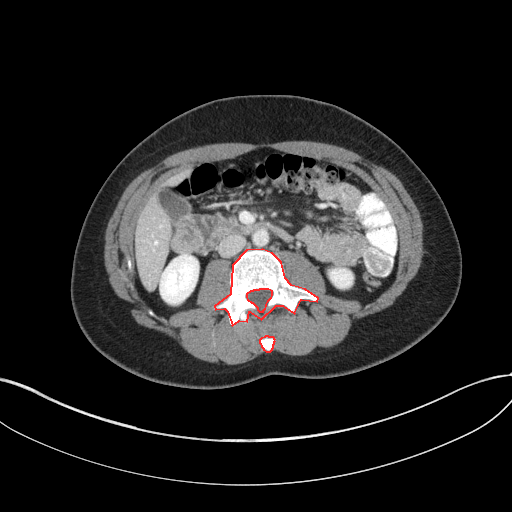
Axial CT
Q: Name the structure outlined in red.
A: red: bones.
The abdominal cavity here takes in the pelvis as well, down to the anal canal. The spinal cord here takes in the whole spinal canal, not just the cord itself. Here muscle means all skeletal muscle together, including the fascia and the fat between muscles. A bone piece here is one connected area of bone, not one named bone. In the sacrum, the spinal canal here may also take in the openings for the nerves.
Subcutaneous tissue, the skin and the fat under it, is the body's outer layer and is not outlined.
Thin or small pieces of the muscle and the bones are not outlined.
{"bones":[{"outer":[[232,325],[239,320],[247,321],[249,311],[261,319],[276,305],[282,305],[294,313],[301,299],[317,301],[318,298],[305,289],[291,285],[285,278],[281,262],[272,253],[262,249],[246,250],[232,265],[230,294],[214,306],[215,309],[224,308],[227,311]],"hole":[[259,311],[263,311],[263,310],[265,308],[266,306],[266,304],[268,300],[271,297],[272,295],[272,291],[268,289],[259,289],[258,290],[253,290],[252,291],[250,291],[246,294],[246,297],[247,299],[251,302],[252,302],[257,307],[257,309]]},[[266,351],[270,351],[272,349],[272,348],[273,347],[273,344],[274,343],[274,341],[275,340],[273,337],[269,337],[268,336],[265,336],[264,337],[261,338],[259,340],[259,342],[260,343],[261,346],[263,348],[263,349]]],"spinal_cord":[[[259,311],[263,311],[263,310],[265,308],[266,306],[266,304],[268,300],[271,297],[272,295],[272,291],[268,289],[259,289],[258,290],[253,290],[252,291],[250,291],[246,294],[246,297],[247,299],[251,302],[252,302],[257,307],[257,309]]],"torso":[[[193,389],[232,387],[274,374],[315,379],[361,371],[409,349],[447,315],[462,278],[459,240],[433,184],[389,136],[325,101],[291,94],[236,95],[208,101],[175,116],[114,167],[94,197],[76,242],[70,277],[75,319],[92,346],[119,367],[150,381]]],"abdominal_cavity":[[[164,317],[196,306],[203,271],[211,259],[226,259],[231,266],[251,248],[269,250],[278,258],[282,250],[301,251],[318,267],[327,293],[366,304],[395,277],[399,237],[393,217],[359,176],[311,155],[260,148],[179,171],[146,198],[133,233],[136,288]]],"muscle":[{"outer":[[228,365],[235,365],[236,364],[244,363],[254,359],[265,352],[267,353],[272,351],[277,351],[280,353],[292,356],[303,356],[311,353],[315,349],[318,348],[319,349],[320,348],[321,349],[330,348],[338,344],[345,338],[349,331],[351,324],[354,320],[365,317],[370,314],[373,314],[390,306],[395,301],[396,298],[402,293],[409,282],[416,274],[421,263],[421,258],[423,254],[423,236],[422,235],[423,225],[419,211],[412,198],[404,187],[402,182],[392,172],[386,168],[364,158],[359,154],[349,149],[329,143],[324,143],[317,141],[308,141],[307,140],[288,140],[287,141],[281,141],[274,143],[257,143],[256,144],[244,143],[243,142],[223,142],[222,143],[213,143],[212,144],[206,144],[201,146],[192,147],[171,154],[158,162],[155,165],[140,172],[126,186],[113,211],[113,213],[107,223],[104,236],[104,253],[103,254],[104,256],[104,265],[108,274],[108,279],[112,288],[115,293],[128,304],[130,313],[137,323],[145,327],[154,329],[164,333],[171,337],[188,353],[200,360],[216,364],[222,362]],"holes":[[[232,325],[318,300],[286,280],[282,250],[317,266],[327,293],[366,304],[385,290],[399,237],[377,193],[327,159],[271,148],[156,186],[127,261],[149,313],[195,307],[206,264],[222,258],[230,294],[214,308]],[[266,351],[270,351],[272,349],[272,348],[273,347],[273,344],[274,343],[274,341],[275,340],[273,337],[269,337],[268,336],[265,336],[264,337],[261,338],[259,340],[259,342],[260,343],[261,346],[263,348],[263,349]]]}]}